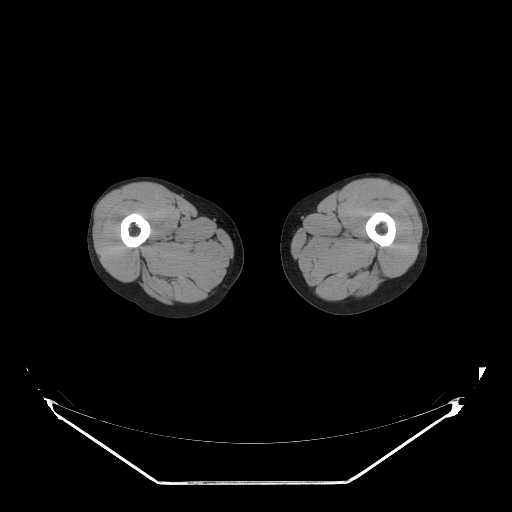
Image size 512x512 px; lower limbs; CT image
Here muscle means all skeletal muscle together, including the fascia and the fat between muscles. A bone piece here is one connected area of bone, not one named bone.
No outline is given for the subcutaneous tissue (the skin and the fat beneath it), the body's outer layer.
{"right_leg":[[[135,176],[152,176],[170,181],[215,203],[222,208],[234,221],[239,231],[244,249],[243,268],[228,294],[221,302],[208,311],[193,317],[178,319],[166,318],[151,314],[113,291],[94,270],[90,261],[87,247],[87,229],[91,208],[99,195],[109,185]]],"bones":[[[376,211],[383,211],[387,213],[389,215],[390,215],[395,221],[395,223],[396,224],[396,233],[395,234],[395,237],[392,243],[389,246],[380,246],[376,242],[373,241],[367,235],[366,233],[366,231],[365,230],[365,224],[367,220],[372,214],[372,213]],[[133,212],[137,212],[141,214],[148,221],[150,225],[150,234],[149,236],[146,239],[146,240],[139,246],[137,247],[128,247],[124,244],[124,243],[121,239],[121,237],[120,236],[120,223],[124,217],[125,217],[130,213],[132,213]]],"muscle":[{"outer":[[138,181],[163,183],[181,192],[197,207],[206,211],[217,219],[230,236],[234,247],[232,265],[216,291],[207,300],[190,306],[163,304],[150,297],[137,284],[123,283],[115,279],[101,265],[94,249],[92,237],[95,208],[99,201],[111,190],[125,184]],"hole":[[133,212],[137,212],[141,214],[148,221],[150,225],[150,234],[149,236],[146,239],[146,240],[139,246],[137,247],[128,247],[124,244],[124,243],[121,239],[121,237],[120,236],[120,223],[124,217],[125,217],[130,213],[132,213]]},{"outer":[[367,177],[383,178],[396,183],[403,187],[411,197],[417,208],[422,224],[422,235],[417,258],[403,275],[396,278],[387,279],[365,299],[357,301],[325,301],[305,286],[300,280],[292,262],[290,243],[296,223],[303,211],[313,206],[327,195],[357,178]],"hole":[[376,211],[383,211],[387,213],[389,215],[390,215],[395,221],[395,223],[396,224],[396,233],[395,234],[395,237],[392,243],[389,246],[380,246],[376,242],[373,241],[367,235],[366,233],[366,231],[365,230],[365,224],[367,220],[372,214],[372,213]]}],"left_leg":[[[365,172],[388,173],[407,184],[413,191],[423,207],[427,217],[429,227],[427,257],[418,278],[406,291],[395,299],[359,314],[346,316],[333,315],[312,306],[302,298],[289,283],[283,271],[280,258],[281,230],[288,212],[299,200],[308,194],[343,178]]]}